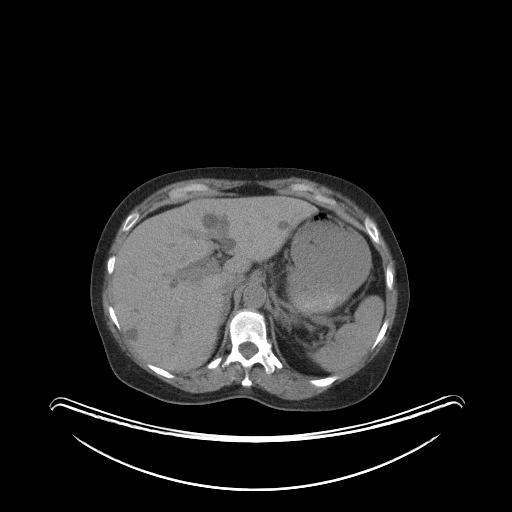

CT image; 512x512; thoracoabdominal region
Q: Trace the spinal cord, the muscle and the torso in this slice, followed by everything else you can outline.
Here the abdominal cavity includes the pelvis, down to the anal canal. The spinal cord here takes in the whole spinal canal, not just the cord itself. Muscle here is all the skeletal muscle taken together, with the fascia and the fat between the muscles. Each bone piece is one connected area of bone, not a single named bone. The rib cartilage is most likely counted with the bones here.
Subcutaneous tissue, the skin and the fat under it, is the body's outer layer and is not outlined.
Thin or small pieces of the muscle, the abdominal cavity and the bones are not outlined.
A: {"spinal_cord":[[[245,342],[250,342],[251,343],[252,343],[253,344],[254,344],[256,346],[256,347],[257,348],[257,351],[254,354],[253,354],[250,357],[249,357],[248,358],[246,358],[240,352],[240,351],[239,350],[239,346],[241,344],[242,344],[243,343],[244,343]]],"muscle":[[[379,229],[395,262],[397,288],[394,322],[388,339],[379,352],[350,377],[309,398],[283,399],[258,387],[242,387],[252,385],[248,370],[255,364],[260,364],[269,375],[276,368],[281,369],[284,366],[282,362],[300,374],[317,378],[308,381],[311,385],[329,386],[339,378],[337,374],[351,368],[383,339],[389,325],[389,320],[385,318],[386,289],[393,288],[394,273],[389,264],[384,270],[382,258],[374,244],[380,243]],[[106,261],[106,271],[111,275],[111,305],[110,304],[107,307],[109,317],[116,328],[118,330],[121,329],[133,347],[149,362],[146,364],[149,369],[158,375],[168,379],[173,379],[175,377],[174,374],[191,372],[204,366],[211,370],[215,369],[219,365],[224,368],[231,363],[238,362],[245,370],[244,375],[240,381],[240,385],[232,384],[214,391],[191,393],[162,381],[147,372],[127,356],[113,337],[104,317],[102,289]],[[289,177],[300,177],[316,181],[353,199],[375,220],[366,216],[363,220],[363,227],[343,209],[336,206],[337,201],[335,198],[324,194],[314,185],[305,182],[291,183],[289,185],[291,191],[282,191],[255,183],[217,191],[209,191],[210,188],[205,183],[190,182],[176,186],[167,192],[168,197],[171,200],[175,200],[174,201],[163,204],[140,218],[140,213],[138,211],[130,212],[152,192],[176,181],[193,178],[270,180]],[[123,221],[121,229],[124,232],[127,232],[127,233],[125,235],[125,237],[121,242],[121,245],[119,248],[119,250],[117,252],[117,255],[113,254],[109,256],[107,260],[107,258],[108,257],[108,253],[109,252],[109,249],[115,238],[116,233]],[[226,336],[227,337],[228,336],[228,337],[229,338],[229,340],[230,341],[230,348],[229,349],[229,351],[226,354],[226,355],[224,357],[223,357],[222,356],[217,356],[217,355],[218,354],[218,353],[219,352],[219,351],[223,344],[223,342],[224,341]]],"torso":[[[206,166],[295,167],[320,171],[356,184],[378,203],[403,254],[410,297],[403,330],[388,371],[366,398],[328,411],[281,410],[248,398],[185,405],[145,394],[126,385],[113,373],[93,318],[89,293],[92,260],[102,229],[117,205],[140,184],[170,171]]],"mediastinum":[[[255,284],[258,286],[260,286],[264,289],[264,295],[265,296],[265,301],[266,302],[266,306],[267,307],[267,315],[266,317],[265,317],[263,313],[255,309],[250,309],[249,308],[241,308],[240,309],[238,309],[238,307],[241,302],[241,297],[247,287]]],"abdominal_cavity":[[[251,184],[307,194],[343,210],[379,253],[385,315],[371,346],[351,367],[314,377],[286,365],[268,338],[265,289],[255,283],[242,293],[216,357],[197,369],[172,373],[151,363],[122,330],[112,305],[112,274],[122,242],[134,225],[157,208],[194,192]]],"bones":[{"outer":[[241,309],[255,310],[263,314],[267,338],[273,352],[283,365],[268,374],[260,363],[255,363],[247,370],[250,386],[241,385],[246,370],[238,361],[224,367],[220,364],[211,369],[206,367],[212,360],[217,357],[224,358],[230,351],[229,323],[234,314]],"hole":[[245,342],[250,342],[251,343],[252,343],[253,344],[254,344],[256,346],[256,347],[257,348],[257,351],[254,354],[253,354],[250,357],[249,357],[248,358],[246,358],[240,352],[240,351],[239,350],[239,346],[241,344],[242,344],[243,343],[244,343]]},[[293,183],[305,183],[306,184],[310,184],[317,188],[324,195],[326,195],[329,197],[331,197],[335,199],[336,201],[336,204],[335,205],[331,205],[327,203],[322,203],[314,199],[314,198],[309,193],[299,193],[295,191],[292,191],[290,188],[290,185]],[[190,183],[202,183],[203,184],[205,184],[207,186],[208,186],[209,188],[209,190],[208,191],[194,191],[193,192],[189,192],[185,197],[182,197],[179,199],[171,199],[169,197],[168,195],[168,192],[170,190],[176,187],[182,186],[183,185],[189,184]],[[366,217],[369,217],[371,219],[372,219],[375,222],[375,223],[376,224],[376,226],[378,229],[378,236],[379,237],[379,243],[374,243],[372,241],[372,240],[370,238],[370,237],[369,236],[369,235],[365,231],[365,230],[364,229],[364,220]],[[335,374],[338,375],[338,378],[336,379],[332,383],[326,386],[316,386],[313,384],[311,384],[309,382],[309,381],[311,379],[317,379],[318,378],[323,378],[324,377],[326,377],[330,375],[334,375]],[[135,211],[136,211],[139,213],[139,219],[133,225],[133,226],[128,231],[124,231],[122,229],[122,227],[123,226],[123,224],[124,223],[124,221],[125,220],[125,219],[126,218],[126,217],[128,215],[128,214],[129,214],[132,212],[134,212]],[[385,319],[387,319],[388,320],[388,325],[387,326],[387,328],[385,331],[385,333],[384,334],[382,339],[375,346],[375,347],[374,348],[371,349],[372,344],[374,342],[374,341],[376,338],[376,336],[378,334],[378,333],[382,326],[382,324]],[[148,363],[153,364],[160,368],[162,368],[164,370],[166,370],[168,372],[170,372],[174,375],[174,377],[173,378],[168,378],[165,376],[163,376],[160,374],[158,374],[157,373],[156,373],[153,370],[152,370],[148,367],[148,366],[147,365],[147,364]],[[388,265],[389,265],[391,267],[391,268],[392,269],[392,272],[393,273],[393,282],[392,283],[392,288],[391,289],[387,289],[386,288],[386,282],[385,281],[385,270],[386,269],[386,268],[387,267],[387,266]],[[110,305],[113,307],[113,309],[115,312],[115,314],[117,317],[117,319],[120,325],[120,329],[118,329],[117,328],[114,322],[111,319],[110,317],[110,315],[109,314],[109,311],[108,310],[108,307]]]}